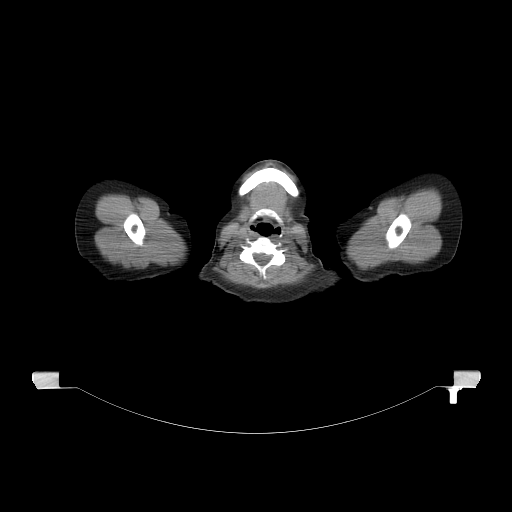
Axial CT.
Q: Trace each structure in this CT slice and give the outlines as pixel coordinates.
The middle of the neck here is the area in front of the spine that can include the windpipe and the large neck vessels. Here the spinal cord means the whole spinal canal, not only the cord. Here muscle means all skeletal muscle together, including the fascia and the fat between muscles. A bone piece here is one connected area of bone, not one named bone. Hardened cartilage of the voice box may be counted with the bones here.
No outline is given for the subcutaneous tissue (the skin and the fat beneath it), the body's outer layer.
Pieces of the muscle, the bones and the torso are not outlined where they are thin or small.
A: The muscle appears in 4 outlined pieces: piece 1: (263, 182) (275, 182) (295, 198) (299, 196) (300, 192) (297, 217) (306, 230) (307, 259) (315, 265) (313, 273) (302, 283) (278, 285) (270, 288) (254, 288) (227, 281) (212, 270) (212, 266) (216, 262) (219, 253) (217, 233) (236, 211) (237, 190) (238, 195) (241, 197), around a hole outlined by (264, 208) (273, 210) (282, 220) (281, 236) (268, 237) (274, 243) (281, 242) (288, 249) (284, 252) (285, 260) (281, 265) (272, 265) (266, 269) (265, 279) (252, 264) (243, 262) (239, 257) (242, 250) (240, 245) (245, 239) (252, 241) (260, 235) (249, 229) (249, 219); piece 2: (427, 186) (437, 187) (441, 192) (443, 201) (443, 207) (439, 220) (439, 230) (443, 237) (443, 245) (440, 253) (437, 256) (429, 261) (417, 264) (392, 262) (378, 266) (368, 271) (359, 269) (348, 259) (345, 252) (348, 239) (359, 227) (361, 222) (375, 209) (382, 199), around a hole outlined by (400, 213) (404, 213) (408, 216) (408, 217) (411, 221) (411, 226) (407, 234) (405, 236) (403, 240) (398, 245) (398, 246) (397, 246) (395, 248) (393, 248) (391, 249) (389, 248) (387, 245) (387, 242) (385, 239) (385, 234) (389, 226) (391, 224) (393, 220); piece 3: (110, 191) (119, 191) (133, 194) (145, 194) (157, 201) (164, 218) (182, 236) (187, 246) (185, 256) (177, 266) (174, 268) (153, 268) (147, 270) (140, 270) (125, 268) (119, 265) (111, 264) (101, 256) (95, 246) (93, 238) (94, 228) (92, 208) (95, 201) (101, 194) with a hole at (131, 213) (136, 213) (138, 215) (145, 229) (145, 235) (143, 239) (143, 243) (142, 245) (140, 246) (137, 245) (132, 241) (132, 240) (128, 236) (128, 235) (124, 230) (124, 228) (123, 227) (123, 222) (124, 220) (126, 218) (126, 217) (129, 214); piece 4: (268, 162) (272, 162) (273, 163) (276, 163) (285, 168) (292, 175) (293, 175) (295, 177) (296, 179) (296, 184) (287, 172) (275, 166) (264, 166) (261, 168) (256, 169) (254, 171) (253, 171) (241, 183) (241, 179) (246, 173) (247, 173) (255, 167) (261, 164) (264, 164). The bones appear in 5 outlined pieces: piece 1: (259, 236) (266, 236) (274, 243) (281, 242) (282, 245) (288, 249) (287, 251) (284, 252) (285, 260) (281, 265) (272, 265) (266, 269) (265, 272) (266, 278) (265, 279) (252, 264) (243, 262) (239, 257) (242, 250) (240, 245) (245, 242) (245, 239) (248, 238) (252, 241); inner edge: (254, 254) (265, 254) (266, 255) (270, 255) (271, 256) (270, 257) (270, 259) (265, 264) (264, 264) (263, 265) (261, 265) (260, 264) (259, 264) (255, 260) (255, 259) (254, 258); piece 2: (264, 167) (275, 167) (287, 173) (290, 178) (297, 186) (299, 190) (299, 194) (298, 196) (296, 197) (292, 196) (288, 193) (280, 184) (275, 181) (268, 181) (267, 182) (263, 181) (259, 183) (255, 187) (245, 194) (240, 196) (238, 193) (238, 188) (239, 186) (253, 172); piece 3: (400, 213) (404, 213) (408, 216) (408, 217) (411, 221) (411, 226) (407, 234) (405, 236) (403, 240) (398, 245) (398, 246) (397, 246) (395, 248) (393, 248) (391, 249) (389, 248) (387, 245) (387, 242) (385, 239) (385, 234) (389, 226) (391, 224) (393, 220); piece 4: (131, 213) (136, 213) (138, 215) (145, 229) (145, 235) (143, 239) (143, 243) (142, 245) (140, 246) (137, 245) (132, 241) (132, 240) (128, 236) (128, 235) (124, 230) (124, 228) (123, 227) (123, 222) (124, 220) (126, 218) (126, 217) (129, 214); piece 5: (264, 208) (267, 208) (268, 209) (271, 209) (273, 210) (281, 218) (282, 220) (282, 225) (280, 225) (279, 223) (276, 220) (275, 220) (274, 218) (270, 216) (268, 216) (267, 215) (259, 216) (253, 221) (249, 222) (249, 219) (250, 217) (256, 211) (260, 209) (263, 209). The torso appears in 2 outlined pieces: piece 1: (313, 252) (321, 260) (322, 263) (326, 267) (332, 267) (342, 273) (345, 274) (347, 273) (349, 278) (351, 280) (345, 280) (337, 288) (332, 289) (325, 293) (306, 296) (294, 301) (303, 293) (306, 287) (309, 278) (309, 275) (311, 271) (311, 266) (313, 261); piece 2: (211, 254) (213, 257) (213, 261) (215, 265) (215, 268) (222, 282) (222, 284) (224, 287) (224, 290) (225, 292) (216, 287) (212, 286) (210, 284) (208, 284) (207, 283) (203, 283) (202, 282) (196, 282) (192, 280) (192, 277) (193, 275) (196, 272) (197, 272) (209, 259). The left arm is outlined by (428, 170) (436, 170) (447, 175) (457, 187) (461, 198) (463, 210) (462, 229) (458, 246) (452, 260) (446, 265) (432, 272) (416, 273) (407, 276) (391, 275) (379, 281) (369, 283) (352, 280) (339, 258) (334, 235) (336, 224) (367, 206) (370, 201) (382, 191) (417, 173). The right arm is outlined by (107, 177) (121, 178) (154, 192) (168, 203) (171, 212) (179, 213) (185, 218) (191, 231) (194, 243) (194, 253) (191, 262) (184, 270) (177, 273) (137, 281) (110, 281) (102, 277) (80, 256) (76, 247) (74, 235) (74, 216) (76, 207) (82, 194) (88, 186) (99, 179). The spinal cord is outlined by (254, 254) (265, 254) (266, 255) (270, 255) (271, 256) (270, 257) (270, 259) (265, 264) (264, 264) (263, 265) (261, 265) (260, 264) (259, 264) (255, 260) (255, 259) (254, 258). The head and neck is outlined by (268, 158) (286, 163) (299, 176) (305, 186) (308, 195) (308, 205) (305, 213) (310, 219) (309, 232) (312, 241) (312, 261) (302, 293) (292, 302) (273, 305) (244, 302) (234, 295) (227, 293) (211, 253) (214, 245) (215, 226) (229, 208) (228, 192) (230, 186) (248, 166). The middle of the neck is outlined by (264, 216) (267, 216) (274, 219) (274, 220) (276, 221) (278, 223) (278, 224) (282, 227) (282, 230) (280, 234) (278, 235) (274, 235) (273, 236) (260, 235) (256, 232) (251, 231) (249, 229) (249, 224) (250, 223) (253, 222) (257, 218) (259, 217) (263, 217).